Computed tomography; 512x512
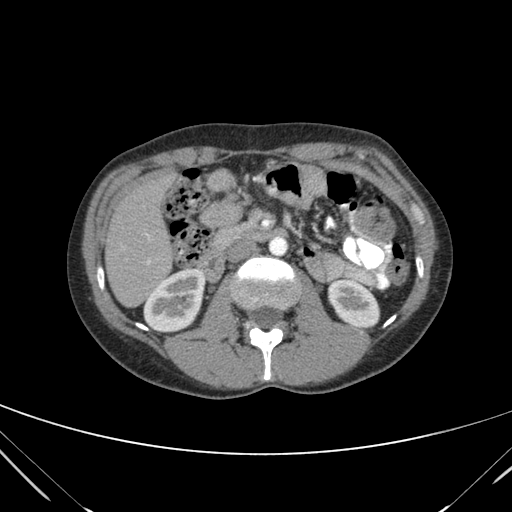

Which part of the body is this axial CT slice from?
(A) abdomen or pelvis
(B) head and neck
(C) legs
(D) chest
Answer: (A) abdomen or pelvis
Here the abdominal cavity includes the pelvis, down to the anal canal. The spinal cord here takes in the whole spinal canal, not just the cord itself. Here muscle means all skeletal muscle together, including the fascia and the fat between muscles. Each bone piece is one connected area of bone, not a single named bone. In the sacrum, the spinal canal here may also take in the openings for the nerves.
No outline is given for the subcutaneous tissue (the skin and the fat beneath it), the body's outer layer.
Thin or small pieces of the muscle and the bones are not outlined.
The muscle is outlined by (222, 390) (248, 388) (265, 381) (310, 386) (334, 379) (354, 368) (366, 354) (373, 351) (374, 347) (383, 343) (411, 317) (425, 300) (430, 288) (431, 267) (438, 248) (434, 222) (421, 197) (391, 157) (377, 145) (318, 141) (284, 145) (266, 150) (253, 148) (232, 150) (207, 145) (185, 146) (163, 151) (137, 161) (119, 164) (99, 182) (86, 211) (81, 253) (85, 272) (92, 289) (91, 298) (104, 321) (110, 328) (123, 335) (145, 343) (201, 385), around holes outlined by (264, 380) (271, 377) (271, 351) (284, 335) (283, 312) (300, 293) (295, 267) (318, 288) (332, 319) (369, 330) (380, 325) (384, 328) (395, 319) (415, 271) (420, 278) (424, 275) (406, 217) (383, 192) (358, 174) (315, 161) (240, 155) (211, 164) (195, 162) (143, 170) (120, 189) (110, 213) (102, 263) (97, 267) (99, 288) (106, 286) (137, 327) (165, 335) (197, 326) (215, 289) (232, 272) (231, 295) (248, 312) (243, 325) (250, 343) (262, 352) and by (420, 224) (422, 224) (424, 223) (425, 221) (424, 219) (424, 216) (423, 215) (423, 213) (421, 211) (419, 207) (416, 204) (416, 203) (415, 203) (413, 201) (411, 201) (410, 202) (410, 210) (412, 212) (414, 216) (414, 218). The bones appear in 4 outlined pieces: piece 1: (246, 311) (254, 308) (256, 305) (262, 305) (263, 304) (278, 307) (283, 311) (285, 311) (295, 303) (300, 293) (299, 281) (296, 277) (293, 268) (288, 263) (277, 258) (262, 255) (257, 257) (251, 257) (240, 265) (233, 276) (233, 282) (231, 286) (231, 295) (236, 304); piece 2: (264, 380) (269, 380) (271, 377) (271, 351) (282, 340) (284, 335) (283, 328) (286, 325) (286, 321) (283, 317) (280, 323) (281, 325) (279, 327) (274, 327) (266, 332) (255, 326) (252, 326) (251, 322) (247, 318) (243, 324) (250, 343) (258, 347) (262, 352) (264, 360); piece 3: (420, 224) (422, 224) (424, 223) (425, 221) (424, 219) (424, 216) (423, 215) (423, 213) (421, 211) (419, 207) (416, 204) (416, 203) (415, 203) (413, 201) (411, 201) (410, 202) (410, 210) (412, 212) (414, 216) (414, 218); piece 4: (382, 328) (384, 328) (385, 327) (386, 327) (389, 324) (390, 324) (395, 319) (395, 318) (396, 317) (396, 316) (397, 315) (397, 314) (396, 313) (394, 313) (393, 314) (392, 314) (384, 322) (384, 323) (382, 325). The abdominal cavity is outlined by (158, 335) (197, 326) (224, 276) (249, 257) (262, 254) (301, 269) (318, 288) (332, 319) (376, 329) (399, 308) (413, 283) (415, 253) (409, 223) (377, 187) (339, 166) (272, 155) (240, 155) (211, 164) (147, 168) (118, 192) (101, 259) (106, 287) (115, 303) (129, 318). The torso is outlined by (215, 400) (242, 397) (268, 387) (301, 394) (342, 389) (391, 367) (413, 348) (434, 320) (452, 275) (448, 223) (432, 194) (381, 136) (360, 128) (311, 121) (198, 123) (118, 153) (89, 184) (77, 207) (66, 249) (68, 289) (81, 322) (98, 345) (136, 377) (168, 390). The spinal cord is outlined by (266, 331) (267, 330) (269, 330) (274, 326) (279, 326) (280, 325) (279, 323) (282, 319) (283, 312) (278, 308) (275, 308) (274, 307) (268, 306) (267, 305) (256, 306) (254, 309) (249, 310) (248, 311) (248, 318) (252, 322) (252, 325) (254, 326) (255, 325) (261, 329).